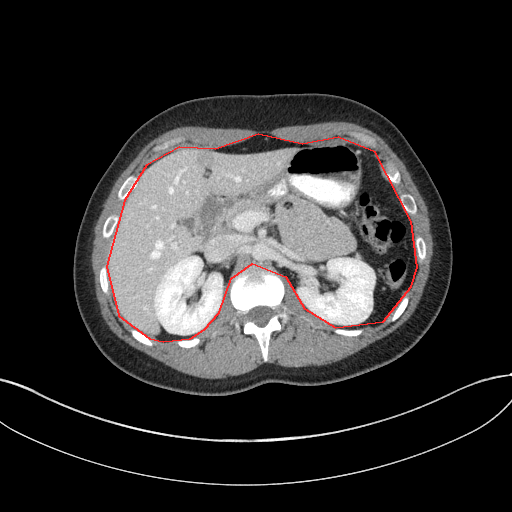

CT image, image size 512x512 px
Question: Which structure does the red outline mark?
Answer: red: abdominal cavity.
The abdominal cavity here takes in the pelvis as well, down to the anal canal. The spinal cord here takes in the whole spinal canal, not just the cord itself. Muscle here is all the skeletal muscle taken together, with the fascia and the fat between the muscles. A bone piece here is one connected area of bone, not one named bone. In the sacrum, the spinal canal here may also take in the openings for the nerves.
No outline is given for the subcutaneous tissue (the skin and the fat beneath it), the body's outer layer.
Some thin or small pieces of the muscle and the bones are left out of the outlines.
The abdominal cavity is outlined by 163,341 190,338 204,329 219,312 231,278 252,263 285,276 304,308 335,327 383,321 411,286 417,267 411,221 375,152 338,137 302,144 258,134 215,149 179,147 146,165 124,200 106,266 118,315 149,338. The bones appear in 13 outlined pieces: piece 1: 264,362 268,360 268,345 272,332 281,330 290,317 281,303 285,291 279,275 271,268 252,264 241,270 234,278 230,287 230,299 240,317 240,320 234,323 236,330 238,331 241,328 245,334 255,336; inner edge: 259,326 264,326 266,324 268,320 274,314 275,312 271,308 267,306 257,306 256,307 254,307 252,308 245,316 247,320 249,321 252,321 254,323 255,323; piece 2: 120,200 122,200 124,199 127,196 127,195 135,187 137,183 137,177 136,176 134,175 130,175 127,178 125,179 125,180 123,182 123,183 121,185 121,186 119,188 117,192 117,197; piece 3: 412,215 415,214 417,212 417,206 416,205 416,203 415,202 415,200 414,198 410,194 408,193 402,193 400,194 399,195 399,199 400,200 400,203 402,207 405,210 406,212; piece 4: 104,238 108,238 111,235 113,231 113,229 115,227 117,223 118,218 119,217 119,216 117,214 111,214 109,216 108,216 108,217 105,220 104,222 104,224 103,225 103,227 102,228 102,236; piece 5: 394,184 398,184 399,183 400,183 400,182 401,181 401,177 400,176 400,173 399,172 399,171 391,162 390,162 389,161 387,161 385,163 385,165 386,166 386,172 384,175 385,176 385,177 389,181 390,181; piece 6: 419,262 422,262 422,261 425,258 425,257 426,256 426,246 425,245 425,242 424,241 423,238 418,235 416,235 414,237 414,244 415,245 415,248 416,249 416,251 417,252 417,255 418,256 418,258 419,259; piece 7: 371,147 375,147 376,145 376,140 373,137 371,136 369,136 368,135 366,135 360,132 357,132 356,131 350,131 348,133 349,135 361,141 362,143 363,143 365,145 367,146 370,146; piece 8: 155,153 156,152 158,152 159,151 164,150 166,149 170,145 173,145 183,140 184,139 183,137 176,137 175,138 172,138 169,140 167,140 163,142 161,144 158,144 154,146 152,148 152,151; piece 9: 390,321 394,321 395,320 396,320 401,315 401,314 405,309 405,308 408,303 408,297 407,296 404,296 402,298 402,299 400,301 400,302 396,307 396,308 395,309 395,311 394,312 392,317 390,319; piece 10: 105,294 107,294 108,293 108,283 107,282 107,274 106,273 106,267 105,266 103,266 100,269 100,271 99,272 99,281 100,282 100,285 101,286 101,289 102,290 102,291; piece 11: 148,346 151,346 153,344 151,340 149,339 144,334 132,328 130,330 130,331 132,335 134,337 134,338 135,338 141,343 143,344 145,344; piece 12: 346,336 355,336 356,335 358,335 359,334 360,334 362,332 362,331 363,330 363,329 362,328 360,328 359,329 341,329 340,328 337,328 334,330 334,331 336,333 337,333 338,334 341,334 342,335 345,335; piece 13: 186,348 188,348 189,347 192,347 198,344 200,341 199,339 197,337 194,337 190,339 182,339 181,340 177,340 175,341 178,345 182,347 185,347. The muscle is outlined by 207,379 218,379 219,378 226,378 229,376 240,375 249,372 264,363 271,363 284,367 321,366 322,365 330,364 339,361 352,354 354,354 375,341 388,335 402,325 414,312 417,307 417,305 420,301 424,290 424,287 429,277 430,268 431,267 431,261 433,255 433,241 432,240 432,235 430,229 429,213 427,206 404,163 397,156 386,142 376,133 358,124 352,122 346,122 345,121 327,121 326,122 319,122 318,123 313,123 306,125 290,125 289,126 277,127 273,129 263,129 262,130 252,130 251,129 244,129 243,128 216,128 215,127 207,127 206,126 181,126 166,131 152,139 147,143 115,180 106,199 103,203 102,210 93,228 93,240 92,241 92,251 91,252 91,265 94,274 95,295 96,296 96,299 99,303 100,313 109,328 119,338 132,347 145,353 152,358 154,358 160,361 165,365 169,366 182,373 200,378 206,378; inner edges: 264,362 272,332 281,330 290,318 281,303 285,291 280,274 290,281 308,312 346,336 379,324 394,308 390,321 396,320 408,303 402,295 416,272 415,252 419,262 426,256 425,242 413,235 408,215 415,214 417,206 410,194 396,193 392,184 400,183 399,171 387,161 384,175 381,160 369,148 338,137 302,144 269,134 215,149 183,146 164,152 138,176 130,175 117,192 125,201 120,213 108,216 102,228 110,243 99,281 105,294 110,291 134,338 148,346 153,344 151,338 195,346 200,341 195,336 216,317 233,277 230,299 240,317 234,326 255,336, then 371,147 375,147 376,145 376,140 373,137 371,136 369,136 368,135 366,135 360,132 357,132 356,131 350,131 348,133 349,135 361,141 362,143 363,143 365,145 367,146 370,146, then 155,153 156,152 158,152 159,151 164,150 166,149 170,145 173,145 183,140 184,139 183,137 176,137 175,138 172,138 169,140 167,140 163,142 161,144 158,144 154,146 152,148 152,151. The spinal cord is outlined by 259,326 264,326 266,324 268,320 274,314 275,312 271,308 267,306 257,306 256,307 254,307 252,308 245,316 247,320 249,321 252,321 254,323 255,323. The torso is outlined by 211,396 239,393 272,382 313,386 361,375 406,353 437,317 449,288 453,261 445,206 404,135 375,109 351,98 317,92 226,94 189,99 140,125 96,184 80,222 73,256 75,300 90,337 112,364 143,382.